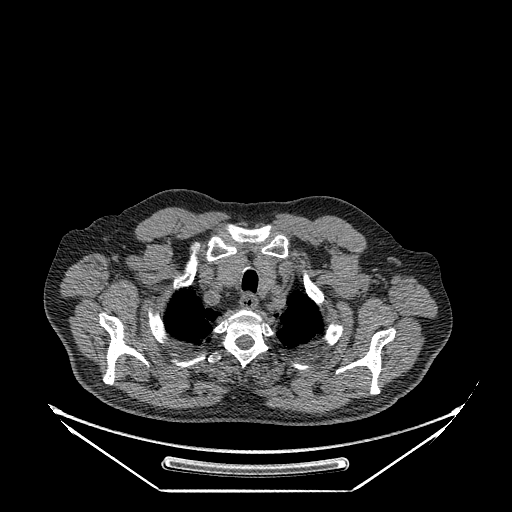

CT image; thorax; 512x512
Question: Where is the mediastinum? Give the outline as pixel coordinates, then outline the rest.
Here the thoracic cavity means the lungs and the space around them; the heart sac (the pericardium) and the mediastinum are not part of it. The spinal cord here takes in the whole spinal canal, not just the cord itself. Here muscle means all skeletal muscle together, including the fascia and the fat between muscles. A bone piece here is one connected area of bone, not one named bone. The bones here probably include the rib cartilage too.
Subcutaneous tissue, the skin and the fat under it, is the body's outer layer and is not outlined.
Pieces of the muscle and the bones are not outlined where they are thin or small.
Answer: Outlines:
mediastinum: 246 253; 259 254; 291 264; 294 272; 293 280; 295 281; 278 319; 280 327; 277 330; 262 315; 247 308; 237 309; 222 318; 217 323; 216 320; 221 315; 216 310; 205 305; 197 290; 196 284; 198 278; 208 263; 218 264; 226 262
muscle: 168 206; 197 213; 224 211; 254 222; 267 220; 277 212; 309 219; 324 214; 344 219; 367 242; 359 257; 361 272; 370 277; 362 290; 366 297; 385 296; 392 278; 398 274; 416 278; 436 301; 438 312; 428 328; 424 349; 413 366; 380 393; 382 349; 395 338; 396 329; 389 326; 376 330; 364 355; 334 370; 338 375; 355 367; 366 367; 371 374; 371 396; 356 398; 321 415; 265 406; 261 396; 246 389; 232 391; 213 405; 172 409; 156 407; 112 386; 100 385; 97 367; 80 353; 70 331; 59 294; 61 279; 69 266; 92 252; 108 259; 112 273; 125 275; 130 270; 126 258; 139 254; 141 249; 134 235; 135 227 with holes at 227 222; 271 224; 288 238; 288 256; 263 254; 261 243; 236 242; 235 254; 214 262; 259 254; 291 264; 293 280; 302 285; 305 270; 324 294; 324 327; 343 325; 334 344; 321 335; 310 345; 275 343; 244 368; 223 348; 214 363; 178 368; 170 362; 173 356; 186 360; 209 352; 216 342; 158 342; 146 304; 152 301; 164 315; 195 240; 202 249; 196 285; 208 264; 207 242 and at 102 311; 114 315; 120 319; 124 326; 125 343; 143 354; 150 364; 148 369; 134 356; 129 354; 121 354; 115 361; 115 378; 114 383; 112 385; 108 385; 102 380; 102 376; 107 368; 106 353; 110 342; 109 333; 99 323; 99 313 and at 292 361; 296 361; 297 362; 299 362; 300 363; 302 363; 303 364; 308 364; 309 365; 310 365; 310 367; 309 368; 308 368; 307 369; 305 369; 304 370; 299 370; 298 369; 297 369; 296 368; 293 367; 291 365; 291 364; 290 363
thoracic cavity 1: 192 285; 196 286; 196 290; 201 297; 204 305; 216 311; 220 315; 215 320; 216 324; 212 327; 210 331; 208 336; 210 339; 203 339; 201 343; 198 345; 172 337; 167 331; 163 320; 163 316; 172 295; 176 291; 183 288; 188 288
thoracic cavity 2: 295 282; 302 285; 305 294; 319 309; 321 316; 323 319; 324 330; 321 335; 317 335; 307 343; 303 343; 295 347; 290 348; 285 345; 283 345; 281 343; 277 337; 277 331; 281 327; 280 326; 279 319; 285 308; 288 297; 294 286
torso: 171 188; 246 203; 328 195; 357 206; 403 247; 412 250; 414 266; 425 286; 451 305; 453 324; 447 342; 413 389; 379 413; 355 421; 315 426; 181 423; 137 416; 103 403; 76 380; 66 350; 43 307; 65 290; 75 271; 82 228
bones 1: 241 309; 262 316; 276 331; 280 343; 275 343; 270 350; 258 354; 244 368; 223 348; 220 351; 221 359; 214 363; 203 360; 190 367; 178 368; 170 362; 173 356; 178 360; 186 360; 203 351; 213 350; 216 342; 209 337; 213 327; inner edge: 243 335; 247 335; 248 336; 249 336; 253 340; 253 343; 251 345; 251 346; 250 347; 249 347; 248 348; 247 348; 246 349; 243 349; 242 348; 240 348; 237 345; 237 344; 236 343; 236 340; 239 337; 240 337; 241 336; 242 336
bones 2: 227 222; 232 222; 243 227; 259 227; 268 223; 271 224; 274 231; 281 231; 288 238; 288 256; 286 258; 278 258; 263 254; 260 250; 261 243; 236 242; 235 245; 237 252; 235 254; 209 263; 205 258; 207 242; 211 235; 222 231
bones 3: 102 311; 114 315; 120 319; 124 326; 125 343; 143 354; 150 364; 148 369; 134 356; 129 354; 121 354; 115 361; 115 378; 114 383; 112 385; 108 385; 102 380; 102 376; 107 368; 106 353; 110 342; 109 333; 99 323; 99 313
bones 4: 389 327; 393 327; 395 329; 395 336; 381 349; 381 370; 378 376; 378 386; 380 388; 380 392; 378 394; 371 395; 369 392; 372 374; 366 366; 355 366; 335 374; 335 370; 338 367; 347 365; 365 355; 369 348; 371 338; 376 331
bones 5: 195 240; 197 240; 201 243; 202 250; 197 255; 198 264; 196 268; 193 283; 188 287; 183 287; 176 290; 171 295; 170 298; 168 299; 167 298; 168 295; 172 291; 173 280; 178 274; 181 274; 184 271; 186 262; 190 255; 190 245
bones 6: 149 300; 152 301; 153 303; 152 306; 153 309; 155 311; 159 312; 162 317; 164 327; 169 335; 172 338; 186 343; 184 344; 174 344; 173 343; 167 344; 166 343; 160 343; 155 339; 150 330; 148 324; 146 304; 148 303
bones 7: 304 270; 305 270; 307 272; 311 280; 313 281; 315 283; 315 284; 320 289; 322 290; 324 294; 324 301; 322 304; 321 309; 320 309; 317 306; 317 305; 306 294; 304 290; 304 287; 303 286; 303 271
bones 8: 332 322; 334 322; 335 323; 338 323; 339 324; 341 324; 343 325; 343 331; 342 332; 342 334; 340 336; 338 340; 334 344; 332 345; 329 345; 323 339; 322 339; 321 337; 324 333; 325 328; 327 326; 327 325
bones 9: 292 361; 296 361; 297 362; 299 362; 300 363; 302 363; 303 364; 308 364; 309 365; 310 365; 310 367; 309 368; 308 368; 307 369; 305 369; 304 370; 299 370; 298 369; 297 369; 296 368; 293 367; 291 365; 291 364; 290 363
spinal cord: 243 335; 247 335; 248 336; 249 336; 253 340; 253 343; 251 345; 251 346; 250 347; 249 347; 248 348; 247 348; 246 349; 243 349; 242 348; 240 348; 237 345; 237 344; 236 343; 236 340; 239 337; 240 337; 241 336; 242 336
left arm: 413 250; 415 250; 416 251; 427 251; 435 256; 438 261; 438 263; 440 267; 441 279; 442 280; 444 288; 449 298; 450 303; 447 302; 433 293; 426 286; 425 282; 422 280; 420 275; 418 273; 417 268; 415 266; 415 264; 413 260
right arm: 72 229; 80 229; 80 248; 77 256; 77 261; 76 262; 76 265; 75 266; 74 271; 64 290; 54 300; 47 305; 43 306; 43 288; 44 287; 45 279; 46 278; 50 264; 54 257; 54 255; 56 252; 58 244; 62 236; 66 232